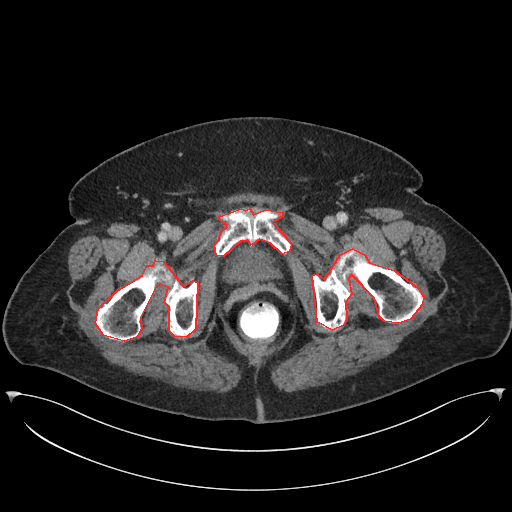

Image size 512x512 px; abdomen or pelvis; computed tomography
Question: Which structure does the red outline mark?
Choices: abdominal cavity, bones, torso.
Answer: red: bones.
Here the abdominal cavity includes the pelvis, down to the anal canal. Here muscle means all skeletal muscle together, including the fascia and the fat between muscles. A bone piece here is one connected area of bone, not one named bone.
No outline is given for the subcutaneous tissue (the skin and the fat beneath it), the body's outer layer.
Outlines (x, y in pixels):
bones 1: 352,248 364,254 369,262 394,270 418,288 423,296 422,304 410,319 398,323 384,321 379,316 374,298 351,274 348,278 351,294 345,302 346,318 343,325 332,330 317,322 312,275 316,273 324,279 340,254
bones 2: 155,260 163,261 183,286 193,280 197,282 195,329 186,337 174,336 169,331 169,307 164,302 168,287 157,283 140,317 141,328 136,337 124,341 103,335 95,323 98,308 117,290 142,275 147,265 153,265
bones 3: 241,208 245,210 249,208 253,214 265,209 282,212 282,216 272,222 291,243 289,251 282,254 270,243 259,239 251,245 247,240 240,241 223,256 216,255 214,244 219,239 220,232 227,226 219,219 219,216
muscle: 245,192 282,197 305,218 327,226 338,225 369,207 405,209 430,223 446,246 442,269 447,291 437,312 395,351 356,374 293,392 278,390 272,382 272,370 311,341 302,328 272,358 254,367 234,348 222,326 216,325 208,347 240,369 237,386 223,393 176,387 111,364 79,328 68,303 67,256 72,244 111,222 134,222 162,237 181,234 224,197, around holes outlined by 241,208 249,208 253,214 265,209 282,212 282,216 272,222 291,243 289,251 282,255 293,284 294,312 289,329 278,341 266,345 246,342 232,328 215,298 216,268 222,257 216,255 214,244 227,226 219,216 and by 352,248 364,254 369,262 394,270 418,288 423,296 422,304 410,319 398,323 384,321 379,316 374,298 351,274 348,278 351,294 345,302 346,318 343,325 332,330 317,322 312,275 316,273 324,279 340,254 and by 155,260 163,261 183,286 193,280 197,282 195,329 186,337 174,336 169,331 169,307 164,302 168,287 157,283 140,317 141,328 136,337 124,341 103,335 95,323 98,308 117,290 142,275 147,265 153,265
torso: 241,116 337,128 386,146 411,162 423,176 416,192 473,233 507,278 511,332 502,348 491,357 457,365 361,405 269,423 164,412 18,362 3,339 4,311 25,270 74,221 67,200 74,183 142,141 192,124
abdominal cavity: 259,240 270,244 283,256 290,271 294,293 294,312 289,329 278,341 266,345 257,345 254,343 251,344 246,342 232,328 225,314 218,307 215,298 216,268 219,259 227,254 233,246 240,242 247,241 251,246